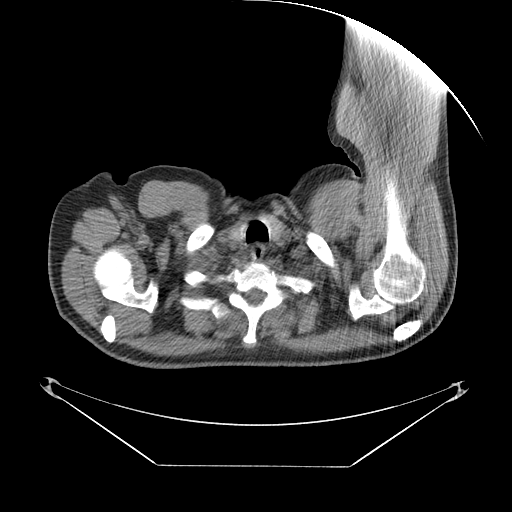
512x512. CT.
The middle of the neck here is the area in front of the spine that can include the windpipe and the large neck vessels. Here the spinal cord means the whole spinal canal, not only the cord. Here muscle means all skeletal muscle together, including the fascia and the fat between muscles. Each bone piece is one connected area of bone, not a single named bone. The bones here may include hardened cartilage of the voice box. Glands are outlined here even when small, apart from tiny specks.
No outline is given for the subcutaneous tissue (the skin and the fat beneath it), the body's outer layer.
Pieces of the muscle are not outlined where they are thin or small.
The torso is outlined by 329 162; 357 175; 352 247; 367 285; 437 328; 415 345; 385 358; 339 365; 155 369; 106 355; 59 315; 52 295; 102 292; 134 274; 134 221; 122 185; 131 173; 159 164; 193 167; 219 178; 233 195; 257 197; 285 194; 302 172. The thyroid glands appear in 2 outlined pieces: piece 1: 271 218; 272 219; 277 220; 279 222; 280 222; 283 226; 283 230; 282 231; 282 234; 280 236; 279 239; 278 239; 275 241; 273 241; 271 238; 271 232; 270 231; 270 226; 269 225; 269 222; 268 221; 268 219; 270 219; piece 2: 235 226; 239 226; 239 227; 240 228; 240 240; 239 241; 236 241; 235 240; 234 240; 233 239; 232 239; 231 238; 230 238; 228 236; 228 233; 229 232; 229 231; 233 227; 234 227. The left arm is outlined by 346 18; 356 20; 376 29; 408 49; 439 75; 447 87; 445 101; 448 129; 449 177; 457 223; 458 261; 454 297; 438 327; 413 317; 371 289; 355 255; 353 225; 359 170; 340 147; 334 146; 331 143; 326 129; 330 98; 340 69. The muscle is outlined by 355 20; 384 33; 439 75; 440 190; 449 263; 431 318; 421 328; 420 318; 399 323; 392 330; 395 343; 369 348; 323 354; 226 348; 175 357; 114 342; 117 328; 111 313; 100 322; 101 335; 83 320; 61 288; 60 262; 71 241; 72 223; 84 208; 112 195; 135 205; 142 185; 158 179; 198 184; 225 206; 262 208; 277 200; 300 216; 318 185; 364 177; 360 154; 335 133; 334 119 with holes at 258 216; 277 220; 284 230; 293 232; 291 242; 283 249; 259 261; 277 273; 304 277; 315 284; 308 293; 297 294; 285 286; 289 297; 261 315; 256 325; 256 343; 248 345; 242 340; 248 320; 241 309; 229 304; 229 312; 216 318; 210 310; 185 307; 179 298; 217 297; 228 303; 231 284; 207 281; 194 287; 183 276; 190 270; 210 278; 234 268; 241 271; 251 260; 219 246; 216 236 and at 384 179; 397 180; 404 221; 404 233; 411 248; 426 268; 425 289; 409 303; 397 305; 394 309; 380 314; 366 314; 353 320; 348 306; 350 286; 357 285; 361 294; 367 299; 371 298; 376 292; 372 281; 373 270; 382 260; 386 241 and at 113 247; 119 249; 131 262; 133 285; 136 291; 143 292; 146 289; 151 279; 157 284; 158 286; 157 302; 151 313; 142 308; 127 306; 116 301; 110 300; 104 297; 101 293; 100 287; 93 275; 92 270; 93 264; 97 257; 106 249 and at 307 231; 312 231; 313 232; 315 232; 319 234; 325 240; 325 241; 329 246; 331 250; 331 252; 333 255; 333 257; 334 258; 334 262; 335 263; 335 266; 333 266; 331 267; 325 264; 310 249; 310 248; 306 243; 306 237; 305 235 and at 206 222; 211 224; 214 227; 215 229; 214 231; 214 233; 208 240; 208 241; 200 248; 198 249; 196 249; 193 251; 188 252; 186 249; 186 243; 187 242; 187 240; 190 234; 200 224; 202 223; 205 223. The right arm is outlined by 104 170; 111 171; 115 181; 117 183; 121 184; 131 208; 133 221; 133 274; 122 283; 102 291; 96 291; 84 294; 52 294; 49 285; 47 272; 47 249; 48 248; 49 228; 55 206; 62 195; 70 188; 84 182; 98 172. The bones appear in 7 outlined pieces: piece 1: 384 179; 397 180; 404 221; 404 233; 411 248; 426 268; 425 289; 409 303; 397 305; 394 309; 380 314; 366 314; 353 320; 348 306; 350 286; 357 285; 361 294; 367 299; 371 298; 376 292; 372 281; 373 270; 382 260; 386 241; piece 2: 251 260; 315 284; 297 294; 285 286; 289 297; 261 315; 254 345; 242 340; 248 320; 241 309; 229 304; 229 312; 216 318; 210 310; 179 302; 181 296; 217 297; 227 304; 231 284; 194 287; 184 274; 197 270; 212 278; 241 271 with a hole at 253 288; 256 288; 257 289; 258 289; 265 293; 265 296; 264 297; 264 298; 262 300; 262 301; 257 304; 252 304; 251 303; 249 303; 246 300; 246 299; 244 297; 244 295; 243 294; 244 293; 249 291; 251 289; 252 289; piece 3: 113 247; 119 249; 131 262; 133 285; 136 291; 143 292; 146 289; 151 279; 157 284; 158 286; 157 302; 151 313; 142 308; 127 306; 116 301; 110 300; 104 297; 101 293; 100 287; 93 275; 92 270; 93 264; 97 257; 106 249; piece 4: 307 231; 312 231; 313 232; 315 232; 319 234; 325 240; 325 241; 329 246; 331 250; 331 252; 333 255; 333 257; 334 258; 334 262; 335 263; 335 266; 333 266; 331 267; 325 264; 310 249; 310 248; 306 243; 306 237; 305 235; piece 5: 206 222; 211 224; 214 227; 215 229; 214 231; 214 233; 208 240; 208 241; 200 248; 198 249; 196 249; 193 251; 188 252; 186 249; 186 243; 187 242; 187 240; 190 234; 200 224; 202 223; 205 223; piece 6: 414 319; 420 319; 422 321; 422 324; 420 326; 419 329; 415 333; 414 333; 411 336; 410 336; 405 340; 403 340; 400 342; 397 342; 396 341; 395 341; 393 339; 393 330; 399 324; 401 324; 406 321; 408 321; 409 320; 413 320; piece 7: 109 314; 111 314; 114 317; 114 319; 115 320; 115 327; 116 328; 116 332; 115 333; 115 339; 114 341; 111 343; 109 343; 105 340; 105 339; 103 337; 100 331; 100 325; 101 324; 101 322; 103 318; 106 315; 108 315. The middle of the neck is outlined by 258 216; 263 216; 267 219; 270 238; 273 242; 280 239; 285 229; 290 229; 293 232; 291 242; 283 249; 257 261; 255 259; 248 259; 231 254; 217 244; 216 236; 220 233; 225 233; 230 239; 239 242; 241 240; 240 225; 248 218. The spinal cord is outlined by 253 288; 256 288; 257 289; 258 289; 265 293; 265 296; 264 297; 264 298; 262 300; 262 301; 257 304; 252 304; 251 303; 249 303; 246 300; 246 299; 244 297; 244 295; 243 294; 244 293; 249 291; 251 289; 252 289.